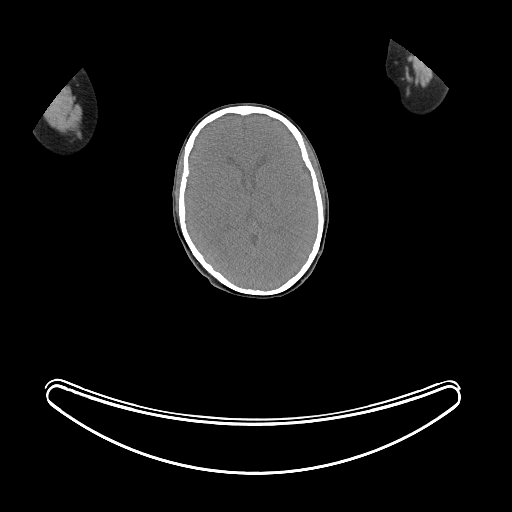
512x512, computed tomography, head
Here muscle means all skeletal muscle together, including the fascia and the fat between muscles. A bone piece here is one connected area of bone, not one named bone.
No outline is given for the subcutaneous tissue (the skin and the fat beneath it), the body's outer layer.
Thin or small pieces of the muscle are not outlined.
Outlines (x, y in pixels):
muscle 1: [[66,82],[72,86],[75,92],[75,94],[77,97],[78,102],[81,105],[82,109],[83,110],[83,120],[82,121],[82,124],[81,125],[81,131],[76,134],[73,137],[71,137],[67,135],[64,135],[58,132],[56,130],[51,128],[43,119],[41,115]]
muscle 2: [[409,50],[419,58],[419,59],[433,72],[434,72],[433,73],[433,79],[432,80],[432,82],[426,89],[416,94],[414,94],[410,96],[407,96],[404,93],[404,81],[401,78],[403,76],[403,64],[404,63],[405,56],[406,55],[406,53]]
muscle 3: [[304,137],[308,142],[313,152],[319,169],[320,176],[322,180],[322,184],[324,188],[324,194],[325,195],[325,213],[324,211],[324,206],[322,201],[322,195],[318,183],[318,179],[316,175],[316,172],[309,157],[308,151],[306,148],[306,145],[304,141]]
right arm: [[82,68],[84,68],[87,72],[93,85],[97,98],[97,103],[98,104],[98,121],[97,122],[97,126],[93,137],[83,150],[73,156],[69,157],[59,156],[48,151],[44,148],[35,139],[32,132],[42,116],[41,115],[42,113],[65,83],[68,82]]
bones: [[237,105],[254,105],[271,109],[283,115],[295,125],[303,137],[321,195],[324,225],[319,249],[305,273],[289,288],[275,294],[246,294],[231,289],[218,281],[194,257],[183,237],[178,221],[184,146],[189,135],[195,126],[207,115],[219,109]], around a hole outlined by [[227,114],[240,116],[265,115],[281,122],[294,138],[299,148],[301,159],[309,173],[316,210],[315,236],[305,260],[297,271],[275,287],[267,289],[245,287],[231,281],[206,260],[193,241],[187,227],[185,193],[190,174],[190,154],[201,130],[209,123]]
head: [[232,102],[259,102],[268,104],[292,118],[309,138],[317,154],[327,187],[329,197],[329,225],[323,253],[312,273],[303,284],[282,297],[267,300],[249,299],[232,295],[214,287],[192,264],[174,227],[171,192],[174,168],[180,146],[198,118],[214,107]]
left arm: [[389,39],[393,40],[408,51],[409,50],[413,53],[434,72],[445,85],[447,86],[448,92],[445,98],[441,104],[432,112],[426,115],[414,115],[406,111],[400,104],[400,102],[398,99],[396,88],[387,77],[385,71],[384,64],[385,63],[387,46]]
brain: [[227,114],[240,116],[265,115],[281,122],[294,138],[299,148],[301,159],[309,173],[316,210],[315,236],[305,260],[297,271],[275,287],[267,289],[245,287],[231,281],[206,260],[193,241],[187,227],[185,193],[190,174],[190,154],[201,130],[209,123]]